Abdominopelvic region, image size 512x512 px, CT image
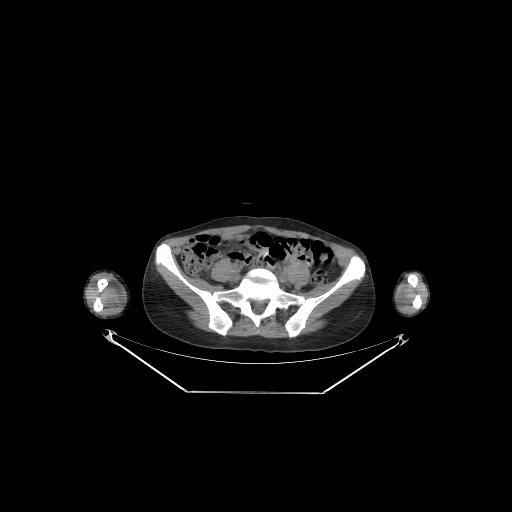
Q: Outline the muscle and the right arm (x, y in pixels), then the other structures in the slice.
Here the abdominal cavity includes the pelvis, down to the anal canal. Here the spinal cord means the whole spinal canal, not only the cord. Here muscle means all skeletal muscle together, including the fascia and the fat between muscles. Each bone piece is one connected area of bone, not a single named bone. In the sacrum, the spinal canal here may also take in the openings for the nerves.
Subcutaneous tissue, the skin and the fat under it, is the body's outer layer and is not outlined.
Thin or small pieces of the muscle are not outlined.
A: {"muscle":[[[245,224],[261,224],[279,229],[305,232],[352,248],[357,253],[353,254],[349,258],[347,265],[341,273],[341,268],[338,264],[334,250],[321,239],[276,234],[263,228],[252,228],[232,235],[221,233],[198,233],[188,239],[181,246],[181,249],[176,258],[179,266],[188,276],[192,278],[202,278],[212,284],[222,285],[225,289],[210,291],[192,284],[185,278],[175,262],[171,247],[163,241],[168,238],[189,235],[210,228]],[[222,303],[226,303],[234,308],[238,308],[240,314],[248,317],[257,328],[260,326],[262,320],[274,315],[277,309],[286,310],[291,306],[297,307],[283,325],[288,338],[266,338],[259,335],[227,336],[228,331],[233,325],[233,321],[230,315],[222,307]],[[154,255],[154,261],[157,265],[163,266],[200,297],[205,304],[208,312],[208,323],[207,325],[212,331],[216,333],[212,333],[202,330],[194,326],[190,322],[184,312],[184,310],[187,307],[187,305],[174,293],[156,270],[154,265]],{"outer":[[101,272],[112,274],[122,285],[126,292],[126,301],[123,308],[118,313],[113,315],[102,315],[97,313],[100,312],[104,307],[101,298],[99,296],[96,296],[94,298],[92,302],[92,309],[89,306],[85,295],[87,286],[91,278],[94,275]],"hole":[[101,278],[105,278],[107,280],[107,285],[101,291],[98,291],[98,287],[97,286],[97,281],[99,279],[100,279]]},[[365,273],[366,275],[364,279],[354,290],[351,295],[339,306],[331,310],[325,316],[325,317],[327,318],[328,322],[324,327],[315,332],[312,332],[309,334],[299,335],[302,330],[306,326],[306,322],[315,307],[343,285],[354,280],[360,280],[365,275]],[[412,272],[416,272],[421,276],[426,287],[427,298],[424,305],[421,307],[421,295],[416,293],[411,301],[411,305],[417,310],[408,314],[403,313],[398,309],[395,294],[399,284],[407,273],[409,273],[406,278],[407,282],[413,288],[417,286],[418,277]],[[293,264],[303,264],[307,266],[309,270],[310,274],[309,281],[300,287],[301,291],[308,291],[318,285],[327,284],[338,277],[338,279],[331,287],[324,292],[315,296],[305,297],[302,294],[290,291],[294,287],[291,283],[286,280],[286,275],[290,266]],[[221,260],[228,260],[230,262],[231,262],[235,266],[235,267],[237,269],[238,274],[240,277],[238,279],[236,279],[235,280],[232,280],[231,281],[220,281],[219,280],[217,280],[215,278],[212,277],[212,269],[213,268],[214,265],[217,262],[218,262]]],"right_arm":[[[100,268],[109,268],[117,272],[123,278],[127,284],[130,291],[130,294],[131,295],[131,301],[128,309],[122,316],[113,320],[111,320],[110,319],[100,319],[95,317],[87,310],[82,300],[82,292],[83,291],[83,287],[89,274],[94,270],[96,270]]],"bones":[{"outer":[[162,242],[184,278],[210,292],[233,288],[248,270],[263,267],[282,289],[315,297],[337,282],[356,254],[365,272],[315,306],[293,338],[284,325],[296,305],[277,308],[257,327],[238,307],[222,302],[232,321],[223,336],[209,327],[201,297],[156,263]],"hole":[[252,301],[257,301],[258,302],[262,302],[263,301],[266,301],[266,303],[265,304],[265,306],[264,307],[264,309],[263,310],[263,311],[261,313],[255,313],[253,311],[253,307],[252,306]]},[[96,297],[99,297],[100,298],[100,299],[101,300],[101,302],[103,305],[103,307],[102,308],[102,309],[100,311],[99,311],[98,312],[96,312],[95,311],[94,311],[94,310],[93,309],[93,302],[94,301],[94,300]],[[416,294],[419,294],[420,295],[420,297],[421,298],[421,305],[420,306],[420,308],[419,309],[416,309],[415,308],[414,308],[413,307],[413,306],[412,305],[412,301],[413,300],[413,299],[414,298],[414,297],[415,296],[415,295]],[[410,273],[414,273],[416,275],[416,276],[417,277],[417,284],[416,285],[416,286],[415,287],[413,287],[408,282],[408,281],[407,280],[407,278],[408,277],[408,275]],[[101,278],[105,278],[107,280],[107,285],[101,291],[98,291],[98,287],[97,286],[97,281],[99,279],[100,279]]],"spinal_cord":[[[252,301],[257,301],[258,302],[262,302],[263,301],[266,301],[266,303],[265,304],[265,306],[264,307],[264,309],[263,310],[263,311],[261,313],[255,313],[253,311],[253,307],[252,306]]],"left_arm":[[[409,268],[416,268],[417,269],[419,269],[422,271],[425,275],[430,289],[430,300],[427,307],[421,313],[413,317],[405,318],[398,315],[394,311],[392,307],[391,296],[392,295],[392,291],[393,290],[394,285],[396,282],[396,280],[398,276],[402,271]]],"torso":[[[235,215],[293,218],[357,245],[365,253],[369,261],[376,294],[375,311],[368,326],[359,335],[341,345],[320,351],[297,353],[266,353],[262,351],[201,348],[178,341],[154,327],[143,309],[141,286],[145,266],[156,241],[170,232],[188,228],[215,218]]],"abdominal_cavity":[{"outer":[[252,229],[321,240],[333,250],[339,275],[327,283],[301,290],[310,281],[310,270],[303,263],[293,263],[285,275],[293,287],[289,291],[281,287],[273,271],[263,266],[248,269],[238,284],[230,288],[188,275],[177,256],[192,237],[198,234],[232,236]],"hole":[[221,260],[228,260],[230,262],[231,262],[235,266],[235,267],[237,269],[238,274],[240,277],[238,279],[236,279],[235,280],[232,280],[231,281],[220,281],[219,280],[217,280],[215,278],[212,277],[212,269],[213,268],[214,265],[217,262],[218,262]]}]}